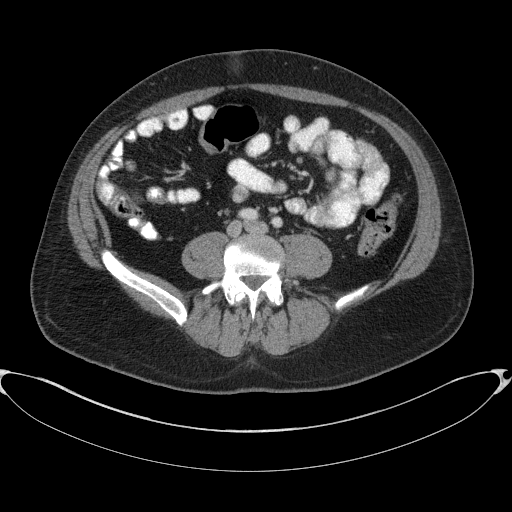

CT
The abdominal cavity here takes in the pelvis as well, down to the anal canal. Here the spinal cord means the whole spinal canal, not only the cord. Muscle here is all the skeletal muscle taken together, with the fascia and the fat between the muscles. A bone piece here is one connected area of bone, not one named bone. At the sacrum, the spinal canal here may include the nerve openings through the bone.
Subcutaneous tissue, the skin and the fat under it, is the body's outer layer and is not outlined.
{"abdominal_cavity":[[[182,289],[209,282],[190,275],[180,255],[188,241],[212,230],[230,241],[268,235],[283,247],[286,234],[318,237],[333,263],[308,285],[348,287],[384,276],[417,207],[405,154],[353,109],[251,89],[228,89],[136,124],[102,158],[94,197],[122,259]]],"torso":[[[206,394],[314,392],[357,384],[440,347],[456,333],[469,309],[474,284],[472,251],[457,189],[439,148],[395,96],[326,59],[292,50],[253,48],[200,54],[167,65],[95,116],[73,146],[54,188],[29,281],[32,310],[44,337],[57,348],[114,372]]],"muscle":[{"outer":[[227,357],[239,357],[252,347],[271,355],[287,355],[313,342],[332,327],[340,317],[352,307],[401,281],[419,275],[429,265],[438,248],[441,234],[441,210],[436,181],[421,148],[404,129],[391,119],[343,98],[307,88],[269,83],[240,83],[210,86],[176,94],[132,113],[108,130],[86,154],[74,176],[67,203],[67,225],[80,258],[88,266],[109,274],[144,310],[171,321],[177,329],[182,331],[196,344],[216,354]],"holes":[[[252,319],[263,295],[275,305],[283,302],[279,272],[284,258],[282,236],[310,233],[321,239],[333,254],[330,270],[304,283],[360,286],[338,298],[334,303],[336,310],[361,297],[369,288],[369,281],[384,276],[406,242],[417,207],[411,166],[383,127],[353,109],[251,89],[228,89],[136,124],[102,158],[94,197],[110,229],[112,246],[122,259],[182,289],[202,287],[201,292],[209,294],[220,288],[230,305],[246,298]],[[179,325],[182,325],[187,320],[187,315],[188,314],[187,309],[185,305],[180,299],[174,296],[163,288],[133,273],[108,249],[106,248],[102,249],[100,254],[102,263],[106,269],[114,277],[119,281],[146,295],[149,298],[153,300],[162,309],[167,312]]]},[[208,281],[219,279],[221,277],[223,272],[222,253],[223,252],[224,247],[229,242],[229,240],[225,234],[219,231],[206,232],[203,234],[201,234],[199,236],[195,237],[186,244],[181,255],[181,261],[182,262],[182,265],[190,274],[199,279],[203,279]]],"bones":[{"outer":[[252,319],[263,295],[275,305],[283,302],[282,279],[279,270],[284,258],[284,251],[277,240],[268,236],[245,235],[236,241],[230,242],[223,253],[224,272],[222,277],[210,282],[201,291],[203,294],[209,294],[220,288],[230,305],[237,304],[246,298]],"hole":[[252,289],[255,289],[257,287],[258,287],[265,280],[265,279],[266,278],[265,277],[262,277],[261,276],[246,276],[245,277],[242,277],[242,279],[244,281],[244,282],[249,287],[250,287]]},[[179,325],[182,325],[187,320],[187,315],[188,314],[187,309],[185,305],[180,299],[174,296],[163,288],[133,273],[108,249],[106,248],[102,249],[100,254],[102,263],[106,269],[114,277],[119,281],[146,295],[149,298],[153,300],[162,309],[167,312]],[[336,310],[339,310],[344,306],[347,305],[353,300],[355,299],[357,299],[361,297],[363,295],[363,294],[369,288],[370,286],[370,284],[369,283],[366,283],[356,288],[354,290],[352,290],[348,293],[338,298],[334,303],[334,307]]],"spinal_cord":[[[252,289],[255,289],[257,287],[258,287],[265,280],[265,279],[266,278],[265,277],[262,277],[261,276],[246,276],[245,277],[242,277],[242,279],[244,281],[244,282],[249,287],[250,287]]]}